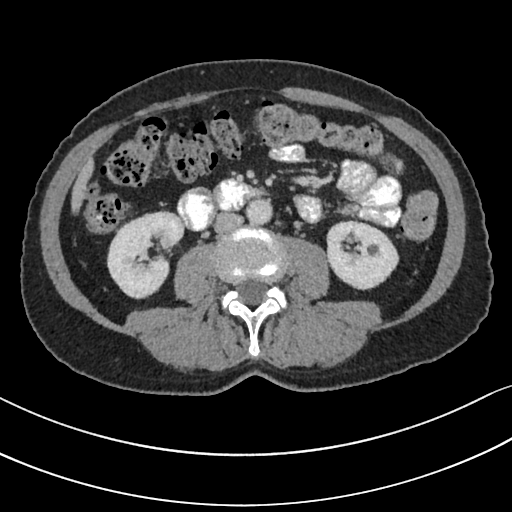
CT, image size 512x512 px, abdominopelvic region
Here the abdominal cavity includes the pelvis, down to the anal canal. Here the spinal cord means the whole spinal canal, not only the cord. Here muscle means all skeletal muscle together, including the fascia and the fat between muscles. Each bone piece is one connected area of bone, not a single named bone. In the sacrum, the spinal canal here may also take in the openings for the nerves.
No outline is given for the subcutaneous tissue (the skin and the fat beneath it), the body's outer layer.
Outlines (x, y in pixels):
torso: 238 58; 296 60; 349 73; 403 98; 445 133; 478 190; 495 277; 488 316; 466 342; 435 361; 357 386; 301 392; 253 375; 207 396; 108 386; 72 371; 45 349; 24 312; 19 259; 29 200; 59 142; 93 107; 144 78; 184 64
spinal cord: 257 277; 261 277; 263 278; 262 279; 264 281; 267 282; 269 285; 265 292; 265 296; 266 297; 265 299; 259 304; 255 306; 249 306; 243 303; 238 299; 239 294; 234 288; 234 286; 235 284; 240 280; 245 280; 248 278; 256 278
abdominal cavity: 242 90; 367 115; 423 160; 444 199; 446 231; 429 285; 402 313; 384 319; 373 300; 323 299; 330 286; 324 249; 263 227; 241 226; 216 244; 190 247; 172 279; 184 303; 136 308; 123 323; 76 285; 59 226; 86 160; 150 113
muscle: 240 86; 257 86; 268 89; 279 89; 287 86; 308 88; 346 98; 370 110; 373 110; 386 115; 392 115; 399 117; 421 131; 439 148; 451 165; 451 167; 459 183; 465 211; 465 242; 464 243; 464 249; 461 264; 449 287; 437 301; 427 307; 415 317; 393 327; 383 329; 380 331; 377 331; 370 334; 366 343; 355 355; 350 357; 339 365; 331 368; 320 369; 314 365; 311 367; 298 367; 295 369; 286 370; 285 369; 280 369; 271 365; 264 365; 259 362; 247 363; 248 362; 247 361; 244 361; 234 367; 226 369; 223 371; 215 372; 205 369; 196 370; 194 373; 188 373; 187 372; 185 373; 178 371; 170 366; 165 365; 154 358; 135 338; 129 335; 106 328; 92 320; 83 312; 72 307; 61 297; 56 290; 51 279; 49 277; 43 260; 42 249; 40 242; 40 227; 39 226; 41 207; 43 203; 45 192; 52 177; 60 163; 72 147; 99 127; 120 120; 152 103; 169 100; 179 96; 185 95; 188 93; 191 94; 203 91; 220 90, around a hole outlined by 242 90; 367 115; 423 160; 446 231; 429 285; 402 313; 323 299; 326 252; 291 235; 277 237; 287 306; 260 325; 256 356; 244 320; 221 306; 230 286; 213 242; 178 258; 174 307; 118 323; 76 285; 59 226; 86 160; 150 113
bones: 241 227; 270 231; 275 234; 285 252; 285 267; 275 283; 283 290; 287 306; 267 316; 260 325; 257 336; 259 353; 256 356; 252 356; 248 351; 249 331; 244 320; 221 306; 221 297; 230 286; 218 275; 215 267; 218 241; 223 235 with a hole at 257 277; 261 277; 263 278; 262 279; 264 281; 267 282; 269 285; 265 292; 265 296; 266 297; 265 299; 259 304; 255 306; 249 306; 243 303; 238 299; 239 294; 234 288; 234 286; 235 284; 240 280; 245 280; 248 278; 256 278